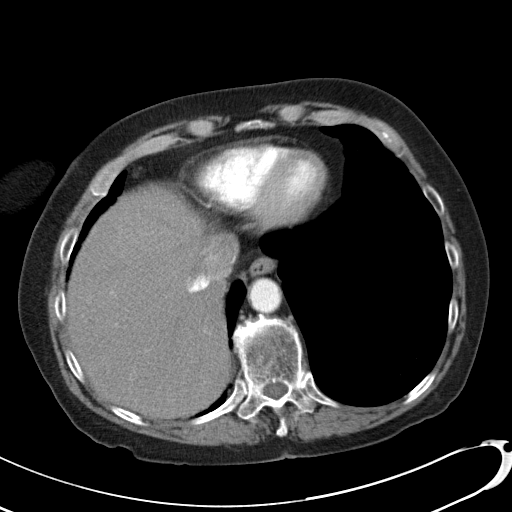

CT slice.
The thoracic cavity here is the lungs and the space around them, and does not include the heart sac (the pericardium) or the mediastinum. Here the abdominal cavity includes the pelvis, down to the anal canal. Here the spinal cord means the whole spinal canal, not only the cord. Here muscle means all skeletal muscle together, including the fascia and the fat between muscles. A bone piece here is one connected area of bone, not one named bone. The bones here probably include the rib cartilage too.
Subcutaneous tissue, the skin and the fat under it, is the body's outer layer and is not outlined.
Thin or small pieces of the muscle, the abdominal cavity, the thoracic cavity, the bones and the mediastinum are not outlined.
Outlines (x, y in pixels):
spinal cord: [[278,382],[279,383],[281,383],[285,385],[287,388],[287,390],[285,392],[285,393],[284,393],[281,396],[280,396],[278,398],[273,398],[270,396],[268,396],[266,395],[263,392],[263,389],[266,385],[270,383],[272,383],[274,384]]
pericardium: [[267,136],[290,136],[296,138],[298,141],[318,153],[329,173],[328,181],[309,214],[302,221],[302,224],[292,228],[274,230],[260,237],[242,236],[225,230],[216,225],[207,215],[189,200],[178,186],[175,181],[175,178],[182,162],[201,150],[226,142]]
torso 1: [[305,77],[349,78],[391,93],[422,120],[461,175],[478,214],[489,259],[485,321],[463,389],[435,417],[384,441],[329,455],[179,466],[138,460],[126,448],[97,443],[74,426],[55,399],[19,322],[22,262],[53,186],[96,134],[134,111],[196,92]]
torso 2: [[36,151],[45,151],[46,152],[49,152],[52,154],[54,154],[57,156],[59,159],[59,167],[58,168],[57,173],[42,197],[39,201],[27,212],[27,213],[21,217],[12,221],[3,222],[0,220],[0,172],[4,167],[20,156],[31,152],[35,152]]
thoracic cavity 1: [[339,124],[366,128],[404,162],[439,218],[451,270],[446,335],[433,367],[405,395],[380,405],[343,403],[317,387],[304,337],[283,291],[278,274],[279,262],[260,246],[264,235],[312,222],[342,195],[346,162],[344,146],[338,137],[317,130],[317,126]]
thoracic cavity 2: [[123,170],[126,171],[126,176],[124,180],[123,187],[120,193],[115,198],[113,203],[109,205],[97,217],[89,228],[75,255],[70,268],[69,277],[66,283],[67,266],[71,253],[76,243],[80,229],[85,218],[90,210],[108,193],[112,183],[116,177]]
thoracic cavity 3: [[238,279],[241,280],[245,288],[245,295],[238,310],[237,317],[235,321],[235,326],[233,329],[231,336],[232,349],[230,349],[228,341],[229,338],[227,331],[228,330],[227,329],[227,320],[226,319],[226,298],[225,296],[227,292],[229,291],[231,284]]
thoracic cavity 4: [[230,384],[232,384],[232,390],[227,396],[225,400],[221,404],[214,408],[213,410],[211,410],[201,415],[199,415],[195,417],[192,417],[192,416],[194,416],[199,412],[201,412],[203,410],[206,409],[215,402],[216,400],[217,400],[222,395],[225,389]]
mediastinum 1: [[277,125],[316,126],[317,131],[338,138],[343,146],[341,195],[312,221],[303,221],[326,187],[330,173],[318,152],[290,135],[236,139],[201,149],[181,162],[176,184],[155,178],[123,191],[128,164],[175,147],[181,139],[197,141],[215,134],[266,130]]
mediastinum 2: [[237,235],[260,238],[261,250],[277,260],[277,274],[281,280],[282,291],[303,337],[311,371],[304,366],[303,342],[293,323],[288,323],[278,316],[259,314],[254,319],[246,318],[236,324],[246,295],[246,288],[241,279],[238,278],[231,283],[240,250]]
abdominal cavity: [[155,179],[174,183],[216,226],[235,234],[239,241],[237,261],[224,296],[227,341],[232,356],[229,378],[233,383],[230,383],[215,401],[191,417],[167,421],[142,417],[115,405],[98,392],[86,379],[72,351],[65,320],[64,288],[90,228],[121,192]]
bones 1: [[259,315],[278,317],[296,327],[303,346],[303,366],[311,372],[320,392],[339,406],[313,401],[312,412],[301,413],[287,402],[279,413],[264,406],[255,416],[243,419],[234,409],[192,424],[192,418],[213,411],[232,392],[240,369],[233,351],[234,329]], around a hole outlined by [[278,382],[279,383],[281,383],[285,385],[287,388],[287,390],[285,392],[285,393],[284,393],[281,396],[280,396],[278,398],[273,398],[270,396],[268,396],[266,395],[263,392],[263,389],[266,385],[270,383],[272,383],[274,384]]
bones 2: [[294,104],[303,106],[307,113],[312,110],[337,109],[347,111],[358,116],[380,121],[397,137],[400,143],[400,147],[404,150],[402,158],[397,157],[388,149],[372,131],[356,123],[320,125],[304,117],[293,123],[282,121],[279,119],[277,111],[285,106]]
bones 3: [[168,132],[174,132],[175,134],[179,135],[182,138],[180,139],[180,141],[175,146],[169,147],[155,153],[144,155],[128,163],[115,177],[111,183],[107,193],[92,207],[89,187],[90,184],[106,164],[117,156],[126,152],[140,143],[154,136],[157,136]]
bones 4: [[72,227],[75,227],[77,229],[78,229],[79,231],[78,232],[78,235],[75,241],[75,243],[70,253],[67,265],[64,265],[62,264],[61,260],[60,259],[60,245],[61,244],[61,242],[62,241],[62,239],[64,235],[66,233],[66,232],[70,228]]
bones 5: [[199,119],[209,120],[210,121],[212,121],[214,123],[214,125],[215,126],[214,127],[213,133],[211,135],[209,135],[208,136],[204,136],[203,137],[202,136],[193,136],[191,135],[187,131],[186,129],[186,126],[187,124],[192,120],[198,120]]
bones 6: [[427,184],[429,184],[431,185],[438,192],[443,202],[443,205],[444,206],[444,211],[443,212],[443,214],[440,217],[439,217],[439,216],[437,214],[432,204],[425,197],[422,191],[422,189],[421,188],[424,185],[426,185]]
bones 7: [[432,370],[435,371],[436,372],[436,373],[435,374],[435,376],[434,377],[432,382],[430,384],[430,385],[415,399],[412,400],[410,402],[409,402],[406,404],[404,404],[403,403],[403,401],[405,399],[405,396],[415,386],[416,386],[427,374],[428,374]]
bones 8: [[253,118],[260,118],[261,119],[270,120],[274,122],[275,124],[272,127],[270,128],[267,128],[266,129],[264,128],[254,128],[253,129],[246,129],[245,130],[242,130],[241,131],[235,131],[234,130],[234,126],[237,123],[242,122],[245,120],[252,119]]
bones 9: [[113,405],[115,406],[117,406],[118,407],[120,407],[121,408],[123,408],[126,410],[128,410],[140,416],[142,418],[142,419],[148,424],[147,425],[139,425],[138,424],[133,423],[130,421],[128,421],[120,417],[118,415],[115,414],[111,410],[110,407]]
bones 10: [[67,349],[69,349],[73,353],[75,358],[77,360],[77,362],[79,364],[79,366],[81,368],[81,370],[84,376],[84,383],[82,383],[74,375],[74,374],[71,371],[70,368],[68,366],[66,362],[66,359],[65,358],[65,356],[64,355],[64,351]]
bones 11: [[61,290],[63,290],[63,291],[64,292],[64,296],[65,297],[65,317],[64,318],[64,319],[61,322],[58,319],[58,318],[57,317],[57,316],[55,313],[55,309],[54,308],[54,300],[55,299],[55,296],[58,293],[58,292]]
bones 12: [[452,297],[453,298],[455,298],[457,300],[457,302],[458,303],[458,314],[457,315],[457,319],[456,320],[455,326],[453,328],[452,331],[450,333],[448,333],[447,332],[447,329],[448,328],[448,314],[449,313],[449,304],[450,303],[450,300]]
bones 13: [[445,241],[448,241],[450,243],[451,243],[456,248],[457,252],[458,253],[458,265],[457,267],[456,267],[454,269],[451,269],[450,265],[449,264],[449,261],[448,260],[448,258],[447,257],[447,254],[445,250],[445,245],[444,244],[444,242]]
muscle 1: [[112,158],[89,184],[91,208],[80,228],[70,227],[61,239],[59,259],[66,266],[65,283],[63,289],[54,296],[53,308],[57,319],[61,323],[65,321],[71,346],[71,350],[67,348],[63,351],[67,366],[82,384],[85,383],[85,378],[113,404],[109,408],[115,415],[139,426],[149,424],[143,418],[163,422],[189,418],[192,425],[199,425],[234,410],[243,420],[255,417],[264,407],[279,414],[287,403],[293,404],[303,414],[313,412],[313,402],[338,408],[339,402],[372,407],[404,396],[404,405],[415,400],[433,382],[437,372],[432,369],[442,351],[447,333],[450,334],[456,326],[459,314],[458,300],[452,296],[452,270],[459,265],[459,253],[451,242],[444,241],[440,220],[445,211],[444,202],[455,228],[454,235],[461,247],[466,287],[465,332],[445,375],[419,403],[388,421],[346,435],[332,435],[306,442],[283,437],[288,434],[288,427],[282,415],[275,430],[277,436],[268,437],[257,444],[194,445],[138,433],[92,411],[69,390],[61,375],[49,331],[47,292],[53,254],[64,222],[93,176]]
muscle 2: [[303,100],[325,101],[344,105],[347,107],[359,110],[369,116],[377,117],[384,121],[390,125],[401,136],[412,152],[414,157],[426,173],[428,180],[433,186],[429,183],[424,184],[421,187],[419,185],[415,177],[402,159],[405,153],[405,150],[401,147],[401,143],[398,137],[391,129],[380,120],[374,119],[367,116],[358,115],[347,110],[337,108],[312,109],[307,112],[306,108],[299,103],[285,105],[278,109],[276,111],[276,115],[278,119],[282,122],[293,124],[302,118],[304,118],[308,121],[311,121],[314,124],[319,125],[312,125],[311,124],[277,124],[275,125],[276,124],[275,122],[270,119],[260,117],[253,117],[237,122],[233,126],[233,130],[231,131],[215,133],[212,136],[200,138],[197,140],[183,138],[179,134],[175,133],[174,131],[168,131],[164,133],[154,135],[117,155],[128,144],[131,143],[146,132],[156,127],[181,119],[188,119],[200,115],[209,115],[210,114],[217,114],[224,116],[231,114],[236,114],[241,116],[246,116],[256,112],[261,107],[268,104],[273,104],[274,103],[297,103]] with a hole at [[199,119],[209,120],[210,121],[212,121],[214,123],[214,125],[215,126],[214,127],[213,133],[211,135],[209,135],[208,136],[204,136],[203,137],[202,136],[193,136],[191,135],[187,131],[186,129],[186,126],[187,124],[192,120],[198,120]]